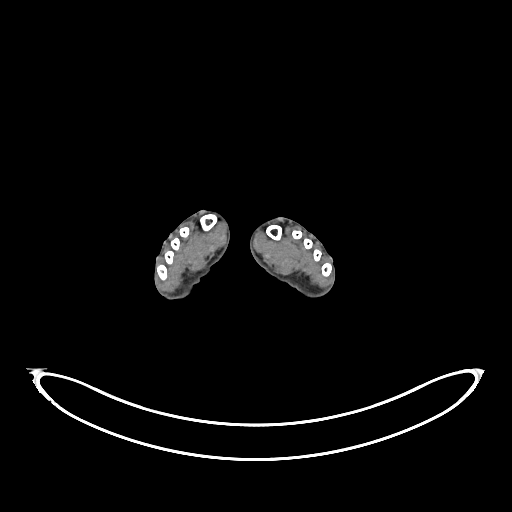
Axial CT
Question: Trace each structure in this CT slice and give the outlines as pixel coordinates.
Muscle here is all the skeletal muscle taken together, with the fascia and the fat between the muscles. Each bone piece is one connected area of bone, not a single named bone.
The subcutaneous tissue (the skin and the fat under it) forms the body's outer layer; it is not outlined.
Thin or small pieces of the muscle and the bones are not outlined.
Answer: {"muscle":[{"outer":[[289,224],[298,226],[311,237],[314,242],[316,242],[320,246],[322,251],[328,257],[330,262],[324,262],[320,267],[321,274],[324,277],[329,276],[332,271],[332,278],[327,286],[320,287],[317,285],[312,285],[309,282],[308,278],[301,274],[298,275],[292,273],[284,275],[277,272],[274,267],[272,265],[269,265],[254,248],[253,240],[255,234],[258,231],[264,230],[269,237],[277,241],[282,236],[282,227],[280,225]],"holes":[[[314,249],[318,249],[319,250],[320,250],[321,251],[321,256],[320,257],[320,258],[319,259],[319,260],[318,261],[316,261],[314,259],[314,257],[313,256],[313,250]],[[305,238],[308,238],[309,239],[310,239],[312,241],[312,246],[310,248],[306,248],[305,247],[305,246],[304,245],[304,239]],[[294,230],[300,230],[301,231],[301,237],[300,237],[299,238],[295,238],[292,235],[292,232]]]},[[198,217],[205,232],[218,220],[222,221],[226,227],[225,241],[202,269],[185,275],[173,291],[163,290],[157,275],[162,281],[168,277],[167,265],[173,262],[174,251],[180,246],[178,236],[170,239],[178,230],[178,235],[186,238],[189,228],[182,225]],[[169,242],[169,244],[170,245],[170,248],[169,249],[166,250],[164,252],[164,255],[163,256],[164,257],[164,263],[158,263],[159,262],[159,258],[160,257],[160,256],[162,254],[162,253],[163,252],[163,250],[164,249],[165,246]]],"left_leg":[[[276,216],[284,216],[291,218],[305,226],[323,243],[327,251],[333,257],[336,268],[336,277],[333,287],[327,294],[319,298],[305,297],[301,295],[295,289],[283,282],[278,281],[268,274],[256,263],[252,257],[248,245],[249,237],[252,231],[262,222]]],"right_leg":[[[202,208],[215,210],[222,214],[225,217],[230,227],[229,245],[223,256],[213,266],[211,271],[194,287],[193,291],[189,295],[180,300],[168,300],[165,299],[158,293],[154,285],[153,281],[154,259],[160,249],[160,246],[163,240],[168,234],[184,218]]],"bones":[[[175,237],[178,237],[179,239],[179,246],[178,249],[173,251],[173,260],[170,264],[167,264],[166,265],[167,277],[164,280],[162,280],[157,274],[156,266],[158,264],[164,264],[165,263],[165,257],[164,256],[165,255],[165,252],[171,248],[170,242]],[[209,213],[213,213],[214,214],[215,214],[217,216],[217,221],[212,226],[212,227],[211,228],[210,228],[208,230],[205,231],[204,230],[203,230],[203,229],[201,226],[200,221],[199,220],[200,219],[200,217],[201,217],[205,214],[208,214]],[[270,224],[278,224],[281,227],[281,236],[279,239],[278,239],[277,240],[276,239],[274,239],[273,238],[272,238],[270,236],[269,236],[267,234],[267,233],[266,232],[266,231],[265,230],[265,229],[266,228],[266,227],[267,226],[268,226]],[[327,262],[328,262],[329,263],[330,263],[332,265],[332,269],[331,270],[331,271],[330,272],[330,273],[329,274],[329,275],[328,275],[327,276],[324,276],[322,274],[322,272],[321,271],[321,267],[322,266],[322,265],[324,263],[326,263]]]}